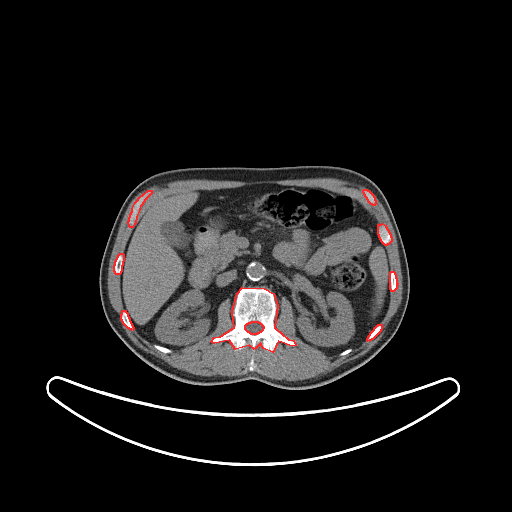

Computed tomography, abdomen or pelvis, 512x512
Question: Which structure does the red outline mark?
Answer: red: bones.
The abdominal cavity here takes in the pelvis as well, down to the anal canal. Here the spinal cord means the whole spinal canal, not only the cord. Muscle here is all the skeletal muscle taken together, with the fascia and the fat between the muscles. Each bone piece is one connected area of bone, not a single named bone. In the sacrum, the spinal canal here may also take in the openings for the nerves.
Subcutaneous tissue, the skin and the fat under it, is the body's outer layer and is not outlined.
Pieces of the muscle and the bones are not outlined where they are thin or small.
{"bones":[{"outer":[[242,287],[264,288],[273,293],[277,305],[274,327],[288,339],[293,340],[295,345],[292,346],[278,341],[272,352],[263,348],[260,343],[254,349],[249,345],[235,349],[229,340],[214,343],[211,341],[214,337],[220,336],[234,327],[232,311],[237,293]],"hole":[[252,321],[257,321],[258,322],[259,322],[263,326],[263,328],[262,329],[262,330],[260,332],[259,332],[258,333],[257,333],[256,334],[251,334],[249,332],[248,332],[245,329],[245,325],[247,323],[248,323],[249,322],[251,322]]},[[148,190],[151,190],[151,193],[144,200],[144,201],[140,206],[139,208],[139,210],[136,216],[135,223],[132,227],[130,227],[129,226],[128,221],[129,220],[129,217],[130,216],[130,214],[132,211],[132,208],[135,202],[138,199],[138,198]],[[382,223],[385,225],[385,226],[386,227],[386,228],[388,230],[388,231],[390,234],[390,236],[391,237],[391,241],[388,244],[387,244],[386,245],[385,245],[381,241],[381,240],[379,237],[379,235],[378,234],[378,224],[381,224]],[[120,253],[122,253],[123,254],[123,261],[122,262],[122,265],[121,266],[121,271],[120,272],[120,273],[119,274],[116,274],[115,273],[115,272],[114,271],[114,265],[115,264],[115,261],[116,260],[116,259],[117,258],[117,257],[118,256],[118,255]],[[123,310],[125,310],[125,311],[127,313],[127,315],[129,318],[129,320],[130,321],[130,322],[131,323],[131,324],[133,327],[133,329],[132,330],[131,329],[130,329],[129,328],[128,328],[123,323],[123,322],[121,319],[121,314],[122,313],[122,311]],[[391,271],[393,271],[394,272],[394,273],[395,274],[395,277],[396,278],[396,282],[397,283],[397,284],[396,285],[396,288],[393,291],[391,291],[391,290],[390,289],[390,272]],[[378,324],[381,324],[381,329],[380,330],[380,331],[372,339],[371,339],[370,340],[369,340],[368,341],[367,340],[367,338],[368,337],[368,336],[370,334],[370,333],[374,329],[374,328]],[[364,189],[366,189],[367,190],[368,190],[373,195],[373,196],[374,197],[374,199],[375,200],[375,204],[374,205],[373,205],[372,204],[371,204],[368,201],[368,200],[367,199],[367,198],[365,196],[365,195],[364,194],[364,193],[363,192],[363,190]]],"muscle":[{"outer":[[304,178],[336,178],[340,180],[347,181],[349,183],[355,185],[364,186],[366,188],[364,188],[362,190],[362,192],[367,201],[373,206],[376,204],[375,197],[370,191],[371,191],[381,202],[388,215],[397,241],[399,259],[400,260],[400,266],[401,267],[401,274],[402,275],[402,297],[401,298],[400,304],[396,312],[388,323],[383,334],[383,336],[377,343],[363,355],[353,360],[346,362],[325,374],[320,375],[317,377],[313,377],[312,378],[308,378],[302,380],[289,381],[284,379],[281,379],[280,380],[278,379],[273,379],[255,372],[249,372],[245,374],[236,375],[235,376],[222,376],[221,375],[202,376],[201,375],[192,374],[171,366],[160,358],[156,357],[154,355],[148,353],[141,348],[138,347],[131,340],[123,329],[122,324],[119,320],[119,315],[113,308],[110,302],[109,296],[108,295],[107,277],[108,276],[109,260],[120,223],[129,204],[137,194],[154,185],[163,185],[168,182],[171,182],[176,180],[206,179],[207,180],[231,180],[232,181],[258,181],[259,180],[286,180],[287,179],[303,179]],"holes":[[[264,184],[348,194],[385,225],[391,237],[385,246],[389,271],[397,284],[389,292],[380,331],[343,356],[328,355],[296,335],[294,311],[285,296],[275,300],[274,327],[295,345],[278,341],[272,352],[260,343],[254,349],[235,349],[229,340],[211,341],[235,325],[228,297],[217,307],[211,333],[170,353],[128,328],[121,319],[125,308],[114,265],[134,228],[128,221],[138,198],[151,193],[136,223],[154,202],[182,190]],[[252,357],[253,357],[253,359],[254,360],[254,363],[256,365],[256,367],[255,368],[255,369],[253,371],[250,371],[248,369],[248,363],[249,362],[249,361],[251,359],[251,358]]]}],"torso":[[[298,165],[349,168],[367,176],[383,192],[398,226],[409,268],[409,299],[393,337],[357,369],[332,382],[308,389],[284,389],[255,379],[218,385],[195,385],[169,377],[145,363],[109,325],[99,290],[103,252],[118,211],[131,190],[153,174],[176,168]]],"abdominal_cavity":[[[264,184],[348,194],[373,216],[389,263],[389,300],[379,323],[359,345],[328,355],[296,335],[285,296],[278,300],[268,288],[242,286],[233,303],[228,297],[218,305],[214,330],[193,344],[171,349],[141,335],[124,307],[120,274],[144,212],[186,189]]],"spinal_cord":[[[252,321],[257,321],[258,322],[259,322],[263,326],[263,328],[262,329],[262,330],[260,332],[259,332],[258,333],[257,333],[256,334],[251,334],[249,332],[248,332],[245,329],[245,325],[247,323],[248,323],[249,322],[251,322]]]}